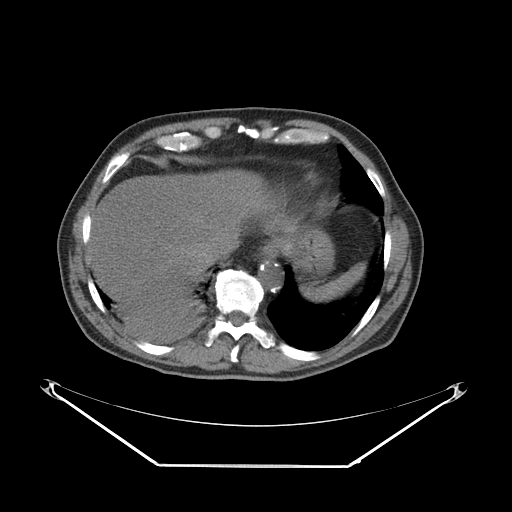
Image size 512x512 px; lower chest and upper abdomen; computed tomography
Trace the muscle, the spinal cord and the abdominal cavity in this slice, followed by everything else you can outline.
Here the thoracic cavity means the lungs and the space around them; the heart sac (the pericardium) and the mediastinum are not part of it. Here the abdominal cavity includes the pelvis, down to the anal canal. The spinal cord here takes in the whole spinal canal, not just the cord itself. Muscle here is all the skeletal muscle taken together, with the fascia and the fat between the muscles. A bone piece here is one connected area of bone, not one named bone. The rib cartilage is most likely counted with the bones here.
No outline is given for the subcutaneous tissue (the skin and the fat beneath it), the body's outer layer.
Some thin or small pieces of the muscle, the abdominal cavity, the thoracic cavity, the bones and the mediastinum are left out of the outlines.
Outlines:
muscle 1: (208, 117) (234, 117) (245, 123) (256, 119) (269, 119) (275, 124) (291, 119) (321, 122) (343, 134) (374, 163) (395, 212) (406, 224) (412, 275) (403, 301) (358, 347) (321, 365) (277, 373) (247, 371) (236, 364) (214, 370) (177, 366) (116, 346) (77, 306) (68, 264) (69, 249) (74, 245) (73, 222) (108, 161) (101, 179) (107, 184) (91, 215) (86, 212) (81, 220) (91, 272) (86, 284) (98, 309) (104, 314) (109, 311) (128, 334) (139, 338) (133, 343) (142, 351) (155, 356) (171, 352) (171, 345) (189, 336) (214, 305) (218, 312) (206, 332) (206, 347) (221, 333) (229, 334) (236, 342) (249, 334) (263, 348) (275, 347) (286, 357) (304, 362) (318, 360) (318, 351) (334, 346) (350, 332) (354, 337) (372, 318) (381, 301) (378, 294) (392, 248) (391, 233) (384, 226) (386, 192) (379, 175) (368, 166) (364, 169) (343, 143) (329, 140) (328, 132) (297, 126) (281, 128) (278, 124) (259, 129) (240, 123) (236, 133) (221, 137) (221, 127) (208, 125) (202, 135) (211, 140) (203, 144) (199, 134) (181, 130) (157, 136) (153, 144) (130, 157) (128, 150) (113, 155) (153, 127); inner edge: (236, 343) (238, 343) (239, 344) (239, 350) (238, 351) (238, 352) (237, 353) (237, 358) (238, 359) (238, 361) (237, 362) (233, 362) (232, 361) (231, 361) (230, 360) (230, 353) (231, 352) (231, 350) (232, 349) (232, 348) (233, 347) (233, 346)
muscle 2: (259, 310) (259, 311) (261, 312) (262, 314) (264, 314) (265, 315) (267, 320) (270, 323) (273, 329) (275, 331) (276, 334) (279, 337) (279, 338) (281, 339) (281, 340) (277, 341) (277, 338) (273, 331) (268, 330) (266, 328) (259, 325) (258, 323) (259, 319) (257, 315)
spinal cord: (235, 310) (237, 310) (238, 311) (241, 311) (243, 313) (244, 313) (247, 317) (247, 320) (246, 321) (245, 321) (242, 324) (240, 325) (238, 325) (237, 326) (236, 325) (234, 325) (229, 320) (228, 320) (227, 318) (227, 316) (228, 314) (232, 311) (234, 311)
abdominal cavity: (164, 152) (267, 154) (315, 162) (347, 200) (367, 206) (381, 218) (382, 251) (372, 280) (355, 299) (311, 303) (298, 293) (277, 245) (257, 235) (241, 241) (214, 271) (215, 278) (178, 305) (157, 313) (119, 305) (92, 277) (88, 251) (92, 212) (127, 160) (136, 154)
torso: (246, 106) (298, 108) (336, 116) (366, 134) (383, 154) (419, 219) (424, 238) (419, 284) (397, 335) (387, 346) (347, 364) (292, 381) (198, 379) (166, 374) (121, 359) (99, 348) (85, 336) (68, 307) (56, 251) (62, 217) (79, 184) (108, 142) (140, 119) (175, 111)
thoracic cavity 1: (382, 252) (383, 275) (379, 291) (357, 324) (341, 340) (330, 347) (317, 351) (297, 348) (280, 338) (266, 316) (269, 303) (278, 296) (284, 285) (285, 267) (291, 271) (297, 293) (304, 301) (314, 305) (325, 306) (345, 299) (350, 298) (355, 300) (373, 280) (379, 266)
thoracic cavity 2: (214, 279) (214, 304) (209, 308) (207, 314) (201, 323) (189, 335) (170, 345) (152, 343) (128, 333) (110, 311) (106, 308) (97, 288) (111, 301) (121, 307) (146, 314) (157, 314) (161, 310) (172, 309) (183, 303) (185, 300) (204, 287) (209, 281) (212, 281)
thoracic cavity 3: (339, 143) (343, 144) (358, 162) (382, 198) (383, 202) (383, 217) (382, 218) (383, 219) (382, 220) (383, 223) (381, 221) (382, 218) (373, 209) (363, 203) (359, 203) (356, 201) (351, 201) (347, 199) (344, 194) (341, 187) (342, 164) (338, 153) (338, 144)
bones 1: (228, 268) (243, 270) (259, 281) (264, 293) (256, 314) (259, 326) (273, 332) (277, 342) (316, 351) (320, 357) (309, 361) (288, 357) (275, 346) (263, 347) (249, 333) (236, 341) (229, 333) (221, 332) (210, 346) (206, 346) (207, 332) (219, 312) (215, 306) (216, 275) with a hole at (235, 310) (237, 310) (238, 311) (241, 311) (243, 313) (244, 313) (247, 317) (247, 320) (246, 321) (245, 321) (242, 324) (240, 325) (238, 325) (237, 326) (236, 325) (234, 325) (229, 320) (228, 320) (227, 318) (227, 316) (228, 314) (232, 311) (234, 311)
bones 2: (240, 124) (248, 128) (257, 128) (259, 130) (274, 125) (278, 125) (281, 129) (291, 127) (304, 128) (314, 131) (326, 132) (329, 135) (329, 139) (325, 142) (320, 143) (274, 143) (269, 139) (265, 140) (261, 138) (252, 138) (243, 133) (237, 133) (236, 130) (238, 125)
bones 3: (181, 131) (188, 131) (191, 133) (197, 134) (202, 138) (202, 143) (201, 145) (196, 148) (189, 149) (185, 151) (172, 151) (171, 150) (166, 150) (159, 146) (157, 146) (154, 142) (155, 139) (159, 136) (172, 134) (173, 133) (176, 133)
bones 4: (125, 151) (128, 151) (130, 153) (129, 155) (129, 157) (123, 163) (122, 166) (110, 178) (110, 179) (106, 183) (103, 183) (102, 182) (102, 179) (104, 176) (106, 167) (110, 159) (112, 157) (112, 156) (116, 154) (119, 154)
bones 5: (140, 340) (146, 341) (149, 343) (155, 344) (156, 345) (166, 345) (167, 346) (172, 346) (173, 347) (173, 349) (171, 351) (167, 353) (162, 354) (161, 355) (155, 355) (154, 354) (151, 354) (150, 353) (148, 353) (142, 350) (134, 343) (134, 341) (139, 341)
bones 6: (377, 295) (378, 295) (380, 297) (380, 301) (379, 302) (379, 304) (375, 312) (373, 314) (371, 318) (368, 321) (368, 322) (354, 336) (351, 336) (351, 332) (352, 330) (358, 324) (361, 318) (367, 310) (368, 307) (371, 304) (371, 303)
bones 7: (89, 277) (91, 277) (92, 278) (95, 284) (95, 286) (98, 291) (99, 296) (106, 309) (106, 311) (104, 313) (102, 312) (99, 309) (99, 308) (95, 304) (95, 303) (93, 301) (91, 297) (91, 295) (90, 294) (90, 292) (88, 288) (88, 285) (87, 284) (87, 280)
bones 8: (385, 230) (388, 230) (390, 233) (390, 235) (391, 236) (391, 248) (390, 249) (390, 255) (389, 256) (389, 259) (388, 260) (388, 263) (387, 264) (387, 267) (386, 268) (386, 269) (385, 269) (384, 270) (383, 269) (383, 245) (384, 244) (384, 234) (385, 233)
bones 9: (368, 167) (372, 169) (378, 175) (380, 179) (380, 181) (383, 186) (384, 191) (385, 192) (385, 196) (384, 197) (382, 197) (380, 195) (377, 189) (375, 187) (374, 184) (371, 181) (368, 175) (366, 173) (366, 171) (365, 169)
bones 10: (86, 213) (89, 213) (89, 214) (90, 215) (90, 218) (91, 219) (91, 224) (90, 225) (90, 232) (89, 233) (89, 239) (88, 240) (88, 241) (86, 243) (84, 243) (83, 242) (83, 238) (82, 237) (82, 220) (83, 219) (83, 217) (84, 216) (84, 215)
bones 11: (208, 126) (217, 126) (218, 127) (221, 128) (221, 129) (222, 130) (222, 134) (221, 135) (221, 136) (218, 138) (215, 138) (214, 139) (211, 139) (210, 138) (209, 138) (208, 137) (207, 137) (206, 136) (203, 135) (203, 130) (204, 129) (204, 128) (205, 128)
mediastinum 1: (230, 134) (243, 134) (252, 139) (259, 139) (274, 144) (320, 144) (329, 141) (339, 142) (337, 144) (337, 153) (341, 164) (340, 186) (335, 187) (332, 178) (326, 174) (315, 161) (305, 157) (267, 153) (232, 154) (188, 153) (186, 151) (196, 149) (212, 140) (223, 138)
mediastinum 2: (257, 236) (260, 236) (276, 245) (283, 258) (283, 263) (285, 266) (283, 269) (283, 285) (277, 296) (268, 303) (266, 315) (260, 311) (260, 306) (264, 299) (265, 293) (260, 281) (255, 276) (243, 269) (236, 269) (232, 267) (220, 269) (230, 259) (241, 242) (249, 237)
mediastinum 3: (154, 144) (155, 144) (155, 145) (157, 147) (159, 147) (160, 148) (161, 148) (166, 151) (171, 151) (164, 151) (161, 153) (159, 153) (157, 155) (147, 155) (144, 153) (136, 153) (137, 153) (138, 152) (139, 152) (144, 149) (146, 149) (148, 147) (149, 147)